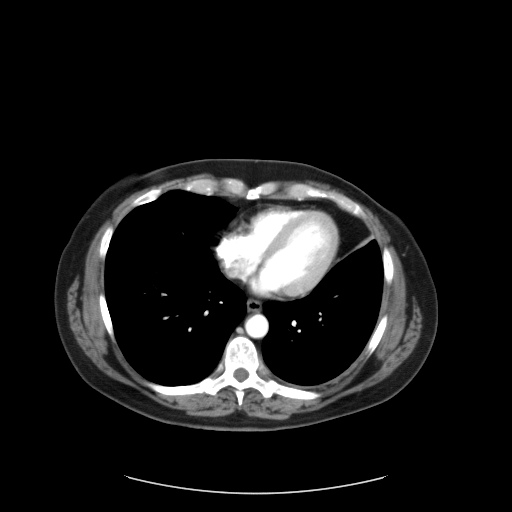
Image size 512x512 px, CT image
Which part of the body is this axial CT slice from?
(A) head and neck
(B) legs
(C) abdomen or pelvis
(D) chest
(D) chest
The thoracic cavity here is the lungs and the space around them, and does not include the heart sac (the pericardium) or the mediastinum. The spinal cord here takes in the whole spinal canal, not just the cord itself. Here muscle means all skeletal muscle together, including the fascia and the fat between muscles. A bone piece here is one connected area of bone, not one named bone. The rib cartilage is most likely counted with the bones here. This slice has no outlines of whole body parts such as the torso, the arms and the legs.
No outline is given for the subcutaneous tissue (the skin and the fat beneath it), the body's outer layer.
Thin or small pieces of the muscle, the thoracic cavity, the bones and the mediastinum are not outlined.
{"spinal_cord":[[[239,368],[242,368],[243,369],[244,369],[248,373],[248,375],[247,376],[247,377],[245,379],[244,379],[243,380],[242,380],[241,381],[240,381],[239,380],[238,380],[234,376],[234,372],[237,369],[238,369]]],"pericardium":[[[260,203],[315,204],[327,208],[333,211],[337,215],[343,231],[343,246],[341,248],[339,258],[313,289],[303,297],[285,301],[257,297],[248,293],[242,287],[228,279],[219,268],[218,262],[212,250],[216,238],[220,232],[226,228],[240,212]]],"mediastinum":[[[217,195],[236,196],[246,200],[257,200],[262,197],[298,201],[315,198],[327,199],[342,210],[365,222],[369,235],[357,245],[356,243],[355,247],[338,261],[344,246],[344,231],[338,215],[333,210],[315,203],[260,202],[243,209],[235,217],[237,207]],[[238,286],[242,288],[248,294],[257,298],[268,300],[277,300],[268,300],[262,306],[262,312],[268,321],[269,328],[261,342],[260,353],[254,342],[245,335],[238,334],[229,338],[232,332],[244,318],[247,309],[246,307],[247,298],[245,292]],[[225,226],[226,226],[226,227],[225,227],[221,231],[220,231],[219,232],[219,233],[217,235],[217,236],[215,238],[215,239],[213,242],[213,244],[211,247],[211,250],[211,249],[210,248],[210,244],[212,241],[213,236],[219,230],[220,230]]],"bones":[{"outer":[[238,335],[253,342],[271,378],[286,386],[320,392],[319,397],[297,399],[275,393],[265,398],[257,389],[250,387],[244,390],[239,407],[235,389],[229,385],[214,395],[166,395],[144,383],[150,381],[166,386],[181,386],[201,381],[222,359],[228,340]],"hole":[[239,368],[242,368],[243,369],[244,369],[248,373],[248,375],[247,376],[247,377],[245,379],[244,379],[243,380],[242,380],[241,381],[240,381],[239,380],[238,380],[234,376],[234,372],[237,369],[238,369]]},[[224,177],[240,179],[250,187],[274,180],[282,186],[304,183],[323,190],[333,190],[357,203],[365,213],[366,219],[364,221],[332,200],[321,197],[298,200],[262,196],[246,199],[236,195],[206,195],[180,189],[177,188],[179,184],[195,179],[220,180]],[[385,314],[387,315],[387,323],[386,324],[386,327],[384,330],[384,332],[378,344],[376,346],[373,352],[369,356],[367,356],[364,352],[364,349],[377,324],[377,322],[379,318],[380,318],[383,315]],[[100,293],[103,293],[105,296],[105,300],[106,301],[107,308],[109,312],[109,315],[111,319],[111,323],[113,328],[113,332],[115,338],[114,341],[111,339],[110,336],[108,334],[108,332],[105,327],[104,322],[101,316],[100,308],[99,307],[99,295]],[[384,247],[387,247],[389,249],[389,251],[390,252],[390,253],[391,254],[391,256],[392,257],[392,261],[393,262],[393,276],[392,277],[391,282],[389,284],[388,284],[387,283],[385,283],[384,282],[384,270],[383,269],[383,261],[382,260],[382,250]],[[157,187],[162,187],[162,189],[163,190],[163,192],[157,198],[156,198],[154,200],[152,200],[149,202],[147,202],[146,203],[138,205],[135,207],[132,207],[131,206],[131,203],[132,201],[138,196],[145,193],[147,191],[153,188],[156,188]],[[109,225],[111,225],[113,227],[114,230],[112,233],[112,235],[111,236],[111,238],[109,242],[109,245],[108,246],[108,248],[106,252],[105,259],[104,260],[102,259],[99,255],[99,247],[100,246],[100,241],[101,240],[102,235],[105,229]]],"thoracic_cavity":[[[175,189],[206,196],[216,195],[236,207],[234,217],[212,236],[209,248],[220,272],[244,292],[246,309],[243,318],[231,332],[221,359],[207,376],[194,383],[166,385],[145,378],[122,352],[115,337],[106,300],[104,271],[110,242],[121,220],[133,208]],[[370,233],[381,251],[383,287],[378,319],[363,350],[343,373],[313,389],[304,389],[277,381],[269,375],[268,368],[260,354],[262,342],[270,328],[269,321],[263,312],[264,304],[268,301],[289,302],[307,296],[324,276]]],"muscle":[[[203,172],[220,179],[200,177],[164,192],[162,186],[157,186],[153,187],[138,195],[116,227],[109,224],[104,229],[99,241],[98,255],[104,261],[100,316],[110,339],[147,380],[143,383],[148,388],[166,396],[214,396],[229,386],[239,408],[250,388],[265,399],[275,394],[314,400],[322,395],[314,388],[343,374],[363,351],[369,357],[387,327],[388,315],[379,314],[394,262],[387,246],[381,250],[366,224],[366,213],[351,198],[366,206],[389,234],[404,272],[406,299],[410,303],[413,297],[420,309],[421,333],[412,352],[379,382],[286,419],[255,417],[241,410],[222,416],[189,415],[99,369],[76,341],[67,312],[67,290],[76,276],[83,278],[91,241],[131,194],[172,179]],[[305,179],[311,179],[312,180],[319,181],[323,183],[327,183],[332,187],[338,188],[345,194],[341,192],[336,191],[333,189],[323,189],[322,188],[319,188],[304,182],[293,182],[292,183],[287,183],[282,185],[277,180],[275,180],[304,180]]]}